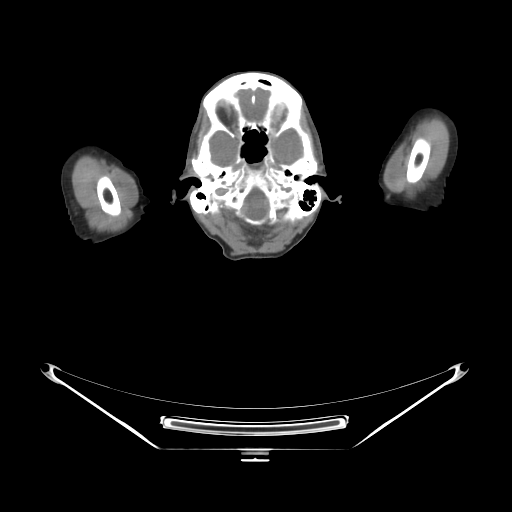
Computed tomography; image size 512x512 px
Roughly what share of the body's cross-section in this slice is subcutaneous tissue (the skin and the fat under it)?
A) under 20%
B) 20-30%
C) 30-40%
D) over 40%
Answer: B) 20-30%
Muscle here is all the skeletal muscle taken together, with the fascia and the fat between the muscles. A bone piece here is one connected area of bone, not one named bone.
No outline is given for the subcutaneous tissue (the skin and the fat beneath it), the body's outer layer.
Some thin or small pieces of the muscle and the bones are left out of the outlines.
Outlined structures:
left arm: 427 105; 437 106; 445 110; 454 120; 458 132; 457 156; 452 171; 446 181; 445 198; 443 205; 439 208; 434 208; 430 212; 423 212; 386 204; 381 199; 382 194; 377 182; 378 172; 380 169; 382 160; 408 117; 416 109
muscle 1: 86 153; 104 157; 108 162; 112 162; 116 164; 129 173; 136 183; 139 199; 134 208; 134 218; 125 228; 119 231; 111 233; 98 233; 90 230; 84 219; 83 214; 84 212; 75 200; 71 184; 71 171; 73 164; 76 159; 80 155, around a hole outlined by 104 175; 108 176; 111 180; 117 192; 117 195; 119 198; 119 202; 120 203; 121 211; 120 212; 120 214; 117 216; 112 216; 104 212; 101 208; 100 202; 98 199; 98 196; 97 195; 97 190; 96 189; 97 181; 101 176; 103 176
muscle 2: 428 113; 435 113; 440 115; 445 119; 448 125; 450 133; 450 143; 448 155; 445 165; 437 178; 433 180; 429 186; 424 191; 419 193; 415 198; 408 199; 405 198; 401 194; 390 192; 383 182; 383 174; 386 164; 394 150; 418 119 with a hole at 420 137; 424 138; 427 141; 428 141; 430 144; 430 152; 429 153; 429 158; 428 159; 426 167; 422 174; 421 178; 417 182; 415 183; 410 183; 408 182; 406 179; 407 163; 409 159; 409 156; 410 155; 412 147; 415 141
muscle 3: 222 209; 231 210; 237 218; 251 226; 261 226; 265 224; 273 225; 281 221; 293 223; 296 220; 300 220; 313 213; 314 214; 303 230; 281 251; 274 253; 247 253; 232 255; 230 253; 230 248; 218 236; 212 234; 196 214; 217 214
muscle 4: 202 109; 208 121; 208 127; 201 138; 200 143; 197 149; 196 155; 193 156; 190 159; 191 167; 194 174; 188 170; 190 164; 189 159; 190 158; 191 146; 194 139; 194 136; 196 133; 196 129; 198 127; 198 125; 200 122; 201 110
muscle 5: 304 106; 305 112; 307 116; 307 119; 309 125; 313 132; 315 138; 315 141; 317 145; 318 156; 319 157; 319 163; 321 167; 321 169; 319 171; 318 171; 318 162; 314 154; 312 137; 311 135; 304 129; 302 125; 302 118; 303 117
bones 1: 250 71; 263 72; 282 78; 295 88; 303 100; 301 125; 311 137; 313 154; 317 162; 316 175; 313 175; 307 181; 310 183; 317 182; 322 193; 317 209; 311 214; 293 222; 281 220; 273 224; 251 225; 237 217; 231 209; 222 208; 217 213; 197 213; 189 201; 190 192; 200 185; 200 180; 193 170; 191 159; 197 155; 202 138; 209 127; 209 121; 201 106; 202 99; 211 89; 226 78; inner edges: 290 129; 292 129; 296 133; 296 134; 299 138; 299 140; 301 144; 301 155; 300 155; 293 161; 289 163; 285 163; 284 162; 277 162; 274 156; 274 152; 272 148; 272 145; 274 141; 282 133, then 219 131; 224 132; 232 139; 235 140; 236 142; 236 151; 235 152; 235 157; 232 163; 226 164; 225 165; 221 165; 218 163; 216 163; 214 161; 213 161; 212 159; 212 153; 211 152; 211 144; 210 143; 210 141; 212 137; 217 132, then 247 90; 250 90; 252 92; 255 92; 257 90; 262 90; 268 93; 267 101; 266 102; 266 107; 263 113; 263 115; 260 118; 257 119; 254 118; 250 119; 246 117; 243 112; 240 102; 240 97; 238 95; 238 93; 240 91; 246 91, then 248 131; 254 131; 258 134; 263 133; 265 136; 265 141; 263 143; 263 147; 265 150; 265 153; 262 156; 261 159; 257 161; 252 161; 250 162; 248 161; 242 154; 242 150; 246 144; 246 142; 244 139; 244 136; 246 134; 246 132, then 255 188; 259 190; 263 194; 263 195; 267 200; 267 203; 268 204; 267 214; 265 216; 261 217; 260 218; 253 218; 252 217; 250 217; 246 215; 242 211; 242 208; 244 205; 244 203; 245 202; 245 200; 247 196; 252 191; 252 190, then 220 107; 226 110; 227 112; 229 112; 230 113; 231 112; 231 113; 233 114; 233 117; 234 118; 234 120; 231 126; 232 127; 230 127; 228 126; 221 119; 218 113; 218 109
bones 2: 420 137; 424 138; 427 141; 428 141; 430 144; 430 152; 429 153; 429 158; 428 159; 426 167; 422 174; 421 178; 417 182; 415 183; 410 183; 408 182; 406 179; 407 163; 409 159; 409 156; 410 155; 412 147; 415 141
bones 3: 104 175; 108 176; 111 180; 117 192; 117 195; 119 198; 119 202; 120 203; 121 211; 120 212; 120 214; 117 216; 112 216; 104 212; 101 208; 100 202; 98 199; 98 196; 97 195; 97 190; 96 189; 97 181; 101 176; 103 176
brain 1: 290 129; 292 129; 296 133; 296 134; 299 138; 299 140; 301 144; 301 155; 300 155; 293 161; 289 163; 285 163; 284 162; 277 162; 274 156; 274 152; 272 148; 272 145; 274 141; 282 133
brain 2: 219 131; 224 132; 232 139; 235 140; 236 142; 236 151; 235 152; 235 157; 232 163; 226 164; 225 165; 221 165; 218 163; 216 163; 214 161; 213 161; 212 159; 212 153; 211 152; 211 144; 210 143; 210 141; 212 137; 217 132
brain 3: 247 90; 250 90; 252 92; 255 92; 257 90; 262 90; 268 93; 267 101; 266 102; 266 107; 263 113; 263 115; 260 118; 257 119; 254 118; 250 119; 246 117; 243 112; 240 102; 240 97; 238 95; 238 93; 240 91; 246 91, around a hole outlined by 253 93; 254 94; 255 95; 255 96; 255 97; 256 98; 255 99; 255 100; 255 101; 255 102; 254 103; 253 104; 252 103; 251 103; 251 102; 250 101; 250 100; 250 99; 250 98; 251 97; 251 96; 251 95; 252 94
brain 4: 255 188; 259 190; 263 194; 263 195; 267 200; 267 203; 268 204; 267 214; 265 216; 261 217; 260 218; 253 218; 252 217; 250 217; 246 215; 242 211; 242 208; 244 205; 244 203; 245 202; 245 200; 247 196; 252 191; 252 190
head: 239 70; 274 72; 301 92; 320 137; 327 172; 307 181; 323 185; 332 199; 342 196; 341 203; 325 200; 305 237; 277 258; 225 258; 196 223; 188 204; 170 203; 173 187; 182 197; 191 185; 200 185; 197 177; 179 176; 203 93; inner edge: 248 131; 254 131; 258 134; 263 133; 265 136; 265 141; 263 143; 263 147; 265 150; 265 153; 262 156; 261 159; 257 161; 252 161; 250 162; 248 161; 242 154; 242 150; 246 144; 246 142; 244 139; 244 136; 246 134; 246 132
right arm: 87 143; 96 144; 107 149; 120 158; 124 164; 133 169; 139 177; 144 194; 150 200; 149 204; 144 208; 145 212; 141 219; 130 231; 118 237; 99 243; 90 243; 79 239; 75 235; 64 205; 60 186; 60 173; 64 160; 78 146